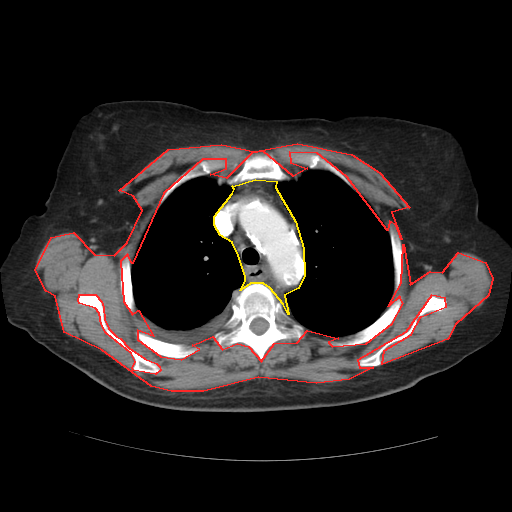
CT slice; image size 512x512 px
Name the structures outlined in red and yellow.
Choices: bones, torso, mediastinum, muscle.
red: muscle; yellow: mediastinum.
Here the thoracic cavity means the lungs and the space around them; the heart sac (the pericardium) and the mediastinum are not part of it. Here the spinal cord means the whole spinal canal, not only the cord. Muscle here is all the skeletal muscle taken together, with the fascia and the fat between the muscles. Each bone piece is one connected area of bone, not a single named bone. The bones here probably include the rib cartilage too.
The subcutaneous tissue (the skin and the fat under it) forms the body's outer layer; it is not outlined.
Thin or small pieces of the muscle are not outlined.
The muscle is outlined by [[297,143],[351,154],[379,172],[409,207],[391,212],[401,239],[396,225],[389,221],[387,230],[346,176],[317,153],[289,152],[290,162],[307,168],[293,176],[263,151],[251,153],[226,178],[210,174],[226,168],[226,159],[202,159],[163,193],[132,263],[127,254],[120,261],[123,301],[132,314],[138,310],[153,336],[137,330],[137,339],[160,356],[181,359],[199,349],[192,345],[212,336],[222,349],[237,343],[248,346],[261,361],[274,343],[297,342],[307,330],[338,338],[328,342],[332,346],[366,343],[392,323],[403,303],[399,296],[388,306],[401,283],[403,244],[410,284],[430,271],[442,272],[458,252],[485,262],[492,278],[488,295],[455,324],[447,339],[382,364],[384,350],[411,334],[421,316],[446,306],[445,298],[431,295],[405,332],[357,360],[359,367],[373,367],[349,379],[316,383],[258,377],[203,391],[171,391],[151,386],[102,350],[64,332],[55,296],[46,291],[35,270],[51,237],[73,232],[94,254],[114,255],[127,242],[142,210],[133,196],[119,190],[168,149],[221,144],[254,151]]; inner edge: [[79,294],[95,294],[101,301],[103,307],[104,319],[108,328],[116,336],[120,338],[128,347],[144,358],[156,363],[159,366],[160,370],[155,374],[133,370],[132,368],[135,361],[131,353],[106,333],[101,324],[99,313],[95,308],[79,303],[78,301]]. The mediastinum is outlined by [[255,179],[276,181],[275,187],[295,221],[303,248],[304,275],[298,288],[284,295],[288,314],[283,304],[270,288],[263,283],[250,283],[240,290],[245,281],[245,276],[238,255],[232,242],[220,235],[214,225],[214,216],[232,193],[234,189],[232,186]]. The torso is outlined by [[130,99],[173,101],[261,119],[382,115],[447,129],[464,148],[478,191],[479,217],[511,243],[508,297],[498,335],[457,364],[409,388],[330,407],[175,410],[128,399],[96,382],[8,321],[0,265],[24,220],[45,210],[56,167],[77,120],[98,104]]. The bones appear in 10 outlined pieces: piece 1: [[254,283],[260,283],[269,288],[282,304],[285,312],[307,329],[305,335],[297,341],[280,339],[274,342],[266,350],[262,360],[251,347],[242,342],[234,343],[228,348],[222,348],[213,339],[213,335],[222,329],[231,316],[231,305],[236,295],[244,287]]; inner edge: [[256,318],[262,318],[263,319],[264,319],[268,323],[268,326],[267,327],[267,328],[266,329],[266,330],[264,332],[263,332],[260,334],[257,334],[256,333],[255,333],[250,328],[250,325],[251,324],[251,323],[252,322],[252,321],[254,319],[255,319]]; piece 2: [[256,152],[263,152],[271,154],[277,161],[281,169],[286,174],[289,175],[291,178],[288,180],[281,180],[280,181],[269,178],[255,178],[250,180],[242,181],[235,185],[227,184],[227,182],[224,179],[229,178],[237,173],[241,169],[245,159],[251,154]]; piece 3: [[399,297],[402,299],[402,303],[397,314],[391,323],[381,333],[374,338],[366,342],[352,346],[344,346],[342,347],[341,346],[332,345],[329,343],[330,341],[337,340],[340,337],[344,337],[351,334],[354,334],[367,327],[374,322],[383,312]]; piece 4: [[79,294],[95,294],[101,301],[103,307],[104,319],[108,328],[116,336],[120,338],[128,347],[144,358],[156,363],[159,366],[160,370],[155,374],[133,370],[132,368],[135,361],[131,353],[106,333],[101,324],[99,313],[95,308],[79,303],[78,301]]; piece 5: [[431,296],[445,299],[445,306],[441,310],[432,310],[421,315],[418,318],[415,327],[411,333],[404,338],[391,343],[383,350],[380,354],[381,364],[377,366],[359,366],[357,364],[359,359],[365,358],[373,354],[391,339],[405,333],[411,327],[426,300]]; piece 6: [[211,158],[222,158],[226,160],[228,162],[228,165],[226,167],[223,167],[219,169],[213,170],[208,175],[198,176],[182,183],[175,188],[158,207],[159,201],[164,193],[173,183],[173,182],[183,172],[188,168],[197,164],[200,161],[202,160],[207,160]]; piece 7: [[137,331],[142,332],[151,337],[165,342],[173,343],[174,344],[184,344],[189,346],[195,346],[198,347],[198,349],[194,353],[191,354],[189,356],[187,357],[182,357],[181,358],[169,357],[168,356],[160,355],[147,348],[138,339],[135,334]]; piece 8: [[291,152],[308,152],[309,153],[313,153],[314,154],[317,154],[319,155],[335,166],[350,182],[353,188],[349,186],[335,174],[327,170],[323,170],[322,169],[310,169],[303,164],[301,164],[300,163],[295,163],[290,161],[288,157],[288,154]]; piece 9: [[389,222],[392,222],[395,225],[399,233],[400,239],[401,240],[401,243],[402,244],[402,251],[403,252],[403,268],[402,269],[400,283],[396,291],[394,291],[394,266],[393,265],[393,257],[392,256],[392,249],[391,248],[390,236],[388,232],[388,223]]; piece 10: [[125,255],[127,255],[128,256],[130,261],[130,264],[131,265],[131,284],[132,285],[133,298],[134,299],[134,302],[136,307],[135,311],[133,313],[132,313],[128,309],[124,301],[124,299],[122,296],[121,288],[120,287],[120,264],[122,259]]. The thoracic cavity appears in 2 outlined pieces: piece 1: [[307,169],[327,171],[355,190],[371,207],[389,236],[393,266],[393,291],[387,306],[370,324],[354,333],[344,336],[332,337],[312,331],[298,322],[288,312],[285,295],[299,288],[305,275],[306,263],[298,226],[286,207],[276,187],[276,183],[288,181]]; piece 2: [[209,175],[217,175],[233,189],[219,206],[212,220],[216,232],[231,242],[243,272],[244,281],[239,288],[240,291],[235,295],[230,305],[231,314],[221,329],[191,345],[165,341],[154,337],[139,316],[133,292],[132,264],[150,220],[170,194],[192,179]]. The spinal cord is outlined by [[256,318],[262,318],[263,319],[264,319],[268,323],[268,326],[267,327],[267,328],[266,329],[266,330],[264,332],[263,332],[260,334],[257,334],[256,333],[255,333],[250,328],[250,325],[251,324],[251,323],[252,322],[252,321],[254,319],[255,319]].